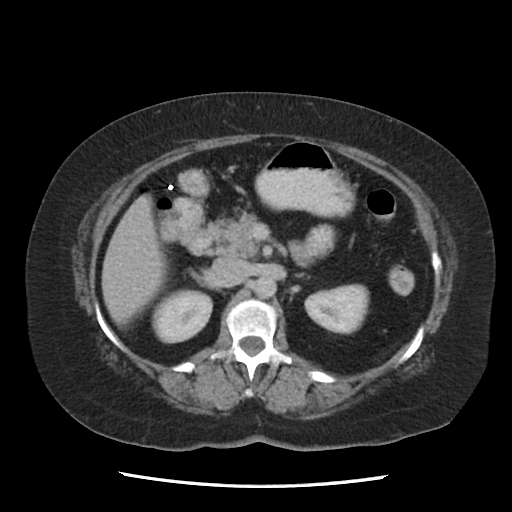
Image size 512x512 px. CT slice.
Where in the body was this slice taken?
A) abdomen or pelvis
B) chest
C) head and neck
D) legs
Answer: A) abdomen or pelvis
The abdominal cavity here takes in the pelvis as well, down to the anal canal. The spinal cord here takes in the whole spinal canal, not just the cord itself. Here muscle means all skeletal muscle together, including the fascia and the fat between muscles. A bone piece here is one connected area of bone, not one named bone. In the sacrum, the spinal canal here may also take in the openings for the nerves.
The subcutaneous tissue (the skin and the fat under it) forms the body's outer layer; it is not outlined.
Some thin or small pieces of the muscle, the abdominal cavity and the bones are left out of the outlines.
The abdominal cavity is outlined by [[264,137],[318,143],[409,198],[430,252],[433,290],[413,337],[386,361],[352,374],[325,371],[290,350],[283,318],[278,322],[274,307],[254,297],[229,303],[214,342],[173,365],[132,351],[106,322],[96,294],[96,260],[108,226],[136,187],[188,155]]. The bones appear in 6 outlined pieces: piece 1: [[250,298],[266,302],[273,307],[277,314],[273,346],[292,359],[291,363],[281,362],[277,367],[270,363],[259,364],[251,381],[247,368],[242,362],[236,360],[226,362],[223,358],[210,358],[211,354],[226,350],[232,344],[232,337],[226,323],[230,308]]; inner edge: [[248,336],[255,336],[256,337],[259,337],[263,341],[263,343],[264,344],[264,347],[259,352],[258,352],[254,355],[249,355],[246,352],[245,352],[244,350],[243,350],[243,349],[240,345],[240,341],[241,339],[245,337],[247,337]]; piece 2: [[421,324],[423,325],[423,327],[424,328],[424,333],[423,334],[422,341],[419,347],[409,358],[408,358],[404,362],[399,364],[395,367],[394,365],[396,363],[397,360],[406,350],[407,347],[409,345],[410,341],[414,337],[415,334],[417,332],[418,328]]; piece 3: [[96,300],[98,302],[99,309],[105,322],[109,328],[113,332],[115,336],[123,345],[126,350],[126,352],[122,351],[117,346],[116,346],[106,336],[103,330],[100,327],[98,323],[98,321],[96,317],[96,313],[95,312],[95,306],[94,305]]; piece 4: [[310,370],[321,370],[322,371],[324,371],[325,372],[326,372],[327,373],[328,373],[329,374],[334,376],[336,378],[336,380],[333,382],[320,382],[319,381],[315,381],[314,380],[312,380],[311,379],[311,378],[308,375],[308,371],[309,371]]; piece 5: [[434,248],[436,250],[442,262],[442,271],[440,275],[440,278],[439,279],[439,282],[438,284],[436,283],[436,280],[435,279],[435,274],[434,273],[434,269],[432,266],[432,262],[431,261],[431,252]]; piece 6: [[184,361],[190,361],[191,362],[192,362],[195,364],[195,368],[190,373],[188,373],[187,372],[184,372],[183,371],[175,371],[174,370],[173,370],[171,368],[171,366],[173,366],[176,364],[178,364],[179,363],[180,363],[181,362],[183,362]]. The muscle is outlined by [[267,132],[288,133],[325,138],[363,149],[389,162],[413,179],[435,204],[439,213],[443,216],[447,223],[449,231],[455,242],[458,259],[458,266],[457,270],[453,276],[452,290],[450,293],[448,308],[443,316],[441,323],[435,334],[435,338],[433,343],[434,361],[432,363],[431,368],[420,376],[398,382],[389,387],[383,393],[379,395],[372,395],[349,408],[341,410],[331,415],[316,419],[298,420],[286,418],[280,414],[276,414],[265,409],[262,405],[260,405],[254,399],[247,399],[242,401],[234,408],[229,415],[225,416],[216,417],[205,414],[195,414],[191,412],[187,412],[176,408],[162,400],[152,397],[126,377],[115,373],[104,361],[102,361],[100,359],[100,352],[96,345],[96,340],[90,328],[85,310],[79,306],[78,301],[75,297],[74,277],[71,266],[72,264],[71,247],[76,240],[77,230],[85,213],[112,183],[122,176],[130,173],[138,166],[145,162],[152,160],[167,151],[183,145],[186,145],[199,139],[208,139],[211,137],[219,137],[225,135],[234,135],[245,133],[266,133]] with holes at [[264,137],[318,143],[383,176],[409,198],[417,226],[429,251],[434,248],[440,257],[442,271],[438,284],[435,279],[433,281],[429,309],[421,321],[422,341],[415,352],[396,367],[394,365],[408,342],[386,361],[363,371],[345,375],[327,371],[335,381],[312,380],[308,371],[324,370],[290,350],[281,316],[273,346],[290,356],[292,361],[289,364],[281,362],[277,367],[261,363],[250,381],[242,362],[210,358],[211,354],[226,350],[232,344],[226,323],[231,303],[221,313],[214,342],[187,358],[195,364],[190,373],[175,371],[170,365],[143,357],[124,344],[126,352],[122,351],[100,327],[94,305],[98,300],[95,276],[101,244],[97,242],[136,187],[151,173],[188,155]] and at [[248,387],[250,387],[251,388],[251,389],[252,390],[252,391],[253,392],[253,393],[254,394],[253,395],[253,396],[252,396],[251,397],[248,397],[247,396],[246,396],[245,395],[245,394],[244,393],[244,392],[245,391],[245,390]]. The torso is outlined by [[240,90],[319,95],[379,110],[439,141],[476,180],[490,215],[496,254],[490,353],[473,390],[446,425],[373,446],[297,451],[255,442],[163,451],[122,443],[90,430],[46,389],[26,333],[24,262],[30,229],[53,174],[81,141],[122,115],[177,97]]. The spinal cord is outlined by [[248,336],[255,336],[256,337],[259,337],[263,341],[263,343],[264,344],[264,347],[259,352],[258,352],[254,355],[249,355],[246,352],[245,352],[244,350],[243,350],[243,349],[240,345],[240,341],[241,339],[245,337],[247,337]].